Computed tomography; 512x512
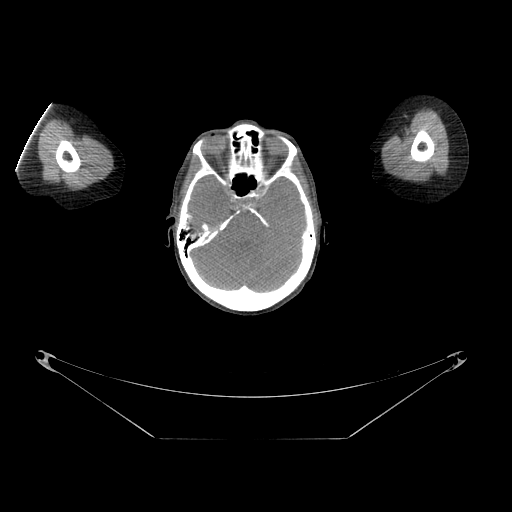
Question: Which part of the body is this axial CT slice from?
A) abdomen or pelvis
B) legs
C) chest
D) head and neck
Answer: D) head and neck
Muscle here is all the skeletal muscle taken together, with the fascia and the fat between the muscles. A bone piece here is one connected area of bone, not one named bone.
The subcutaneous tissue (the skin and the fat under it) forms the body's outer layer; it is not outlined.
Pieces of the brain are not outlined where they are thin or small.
The head is outlined by 240,118 254,119 295,138 313,175 321,215 328,222 325,227 328,244 321,245 313,275 302,291 275,311 256,316 226,313 202,300 184,281 172,246 165,246 172,222 165,217 174,179 192,141 205,130 228,127, around holes outlined by 240,175 244,175 247,179 248,179 251,177 254,181 254,185 252,187 250,187 247,190 247,191 244,193 238,193 237,190 235,188 234,188 234,180 237,176 239,176 and by 250,132 254,132 256,134 256,139 257,140 257,141 256,142 256,143 254,143 254,142 253,141 254,140 253,139 253,136 251,134 250,134. The left arm is outlined by 421,92 430,93 442,98 456,111 464,125 469,143 469,166 463,184 455,193 442,201 434,204 422,204 398,197 388,189 379,186 371,177 374,153 370,149 369,145 375,138 381,124 393,107 402,98 410,94. The muscle appears in 4 outlined pieces: piece 1: 55,116 69,117 80,122 85,125 107,146 113,156 114,169 106,178 98,182 93,183 86,188 75,191 60,190 43,182 40,175 40,168 38,167 39,164 37,161 34,141 36,132 40,126 49,118; inner edge: 62,139 65,139 71,142 72,145 75,148 79,156 79,158 81,160 81,163 80,164 80,166 79,168 76,171 74,172 65,172 63,171 58,165 56,161 56,159 55,158 55,150 60,140; piece 2: 423,106 429,106 438,110 440,112 440,115 443,121 447,125 446,128 447,129 448,139 449,140 449,159 450,162 447,173 437,183 417,184 396,178 385,172 381,162 381,147 386,140 392,126 404,114 411,112, around a hole outlined by 420,129 424,129 429,134 429,135 434,142 434,150 433,151 433,154 428,160 424,162 419,162 418,161 415,161 413,160 410,157 410,150 411,149 411,145 413,142 413,140 414,139 414,137 415,135; piece 3: 191,152 194,156 196,156 198,158 200,166 193,174 193,176 190,180 186,188 185,193 181,200 179,207 179,212 178,213 178,220 177,221 175,227 175,234 175,224 176,219 174,216 174,206 176,200 176,191 182,173; piece 4: 298,152 299,158 305,170 310,184 312,195 314,199 314,203 317,211 317,215 318,216 318,228 319,229 318,231 318,237 317,238 317,244 317,237 316,236 312,207 299,178 292,169 294,160 296,158. The bones appear in 3 outlined pieces: piece 1: 241,123 253,124 265,131 261,142 262,158 264,169 269,175 281,165 287,154 286,146 278,136 285,137 296,147 297,154 291,169 298,178 310,204 316,237 311,265 299,285 277,303 254,311 231,309 203,294 184,270 176,245 176,227 181,203 194,174 201,166 199,158 192,153 194,144 204,139 201,150 205,159 223,175 227,171 230,155 226,130, around holes outlined by 280,178 294,185 303,208 305,224 300,234 300,259 296,268 280,285 269,290 255,290 244,283 237,288 222,288 210,284 199,273 192,250 209,243 235,216 244,211 253,214 267,228 270,224 257,209 256,201 and by 206,176 212,176 221,185 225,194 229,198 230,201 234,204 233,211 223,220 216,223 212,227 207,222 203,221 200,224 200,230 198,230 190,223 191,222 190,221 192,219 192,215 189,212 189,203 197,182 and by 240,175 244,175 247,179 248,179 251,177 254,181 254,185 252,187 250,187 247,190 247,191 244,193 238,193 237,190 235,188 234,188 234,180 237,176 239,176 and by 250,132 254,132 256,134 256,139 257,140 257,141 256,142 256,143 254,143 254,142 253,141 254,140 253,139 253,136 251,134 250,134; piece 2: 62,139 65,139 71,142 72,145 75,148 79,156 79,158 81,160 81,163 80,164 80,166 79,168 76,171 74,172 65,172 63,171 58,165 56,161 56,159 55,158 55,150 60,140; piece 3: 420,129 424,129 429,134 429,135 434,142 434,150 433,151 433,154 428,160 424,162 419,162 418,161 415,161 413,160 410,157 410,150 411,149 411,145 413,142 413,140 414,139 414,137 415,135. The brain appears in 2 outlined pieces: piece 1: 280,178 294,185 303,208 305,224 300,234 300,259 296,268 280,285 269,290 255,290 244,283 237,288 222,288 210,284 199,273 192,250 209,243 235,216 244,211 253,214 267,228 270,224 257,209 256,201; piece 2: 206,176 212,176 221,185 225,194 229,198 230,201 234,204 233,211 223,220 216,223 212,227 207,222 203,221 200,224 200,230 198,230 190,223 191,222 190,221 192,219 192,215 189,212 189,203 197,182. The right arm is outlined by 55,101 67,102 82,109 94,120 99,128 122,151 125,160 125,172 121,188 115,195 105,199 96,201 90,205 78,209 63,209 59,207 49,197 30,196 24,192 20,187 15,174 16,165 34,126 47,107.